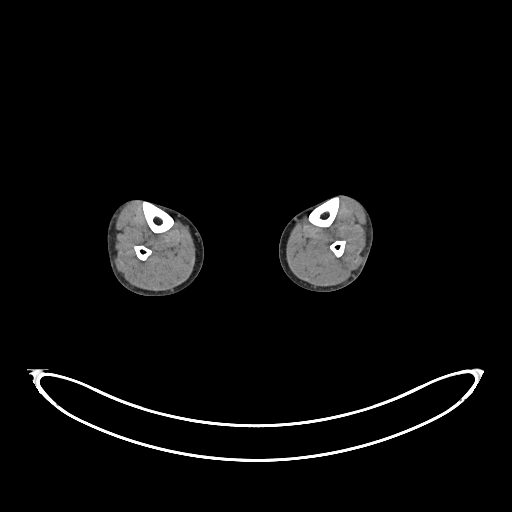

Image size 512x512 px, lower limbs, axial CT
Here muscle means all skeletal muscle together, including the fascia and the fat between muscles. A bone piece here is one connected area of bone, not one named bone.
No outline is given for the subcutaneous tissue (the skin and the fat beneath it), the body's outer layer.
Outlines (x, y in pixels):
muscle 1: (135, 202) (141, 202) (144, 219) (150, 230) (155, 234) (160, 234) (169, 230) (174, 225) (174, 219) (179, 220) (189, 228) (195, 246) (195, 263) (193, 270) (184, 282) (171, 290) (154, 291) (134, 286) (124, 279) (115, 268) (114, 231) (116, 220) (119, 213) (126, 205) with a hole at (135, 245) (143, 245) (144, 246) (145, 246) (147, 248) (148, 248) (149, 249) (150, 249) (151, 250) (151, 253) (146, 258) (146, 259) (145, 260) (141, 260) (136, 255) (136, 253) (135, 252) (135, 250) (134, 249) (134, 246)
muscle 2: (340, 198) (348, 199) (357, 204) (368, 220) (362, 260) (358, 268) (347, 280) (329, 286) (314, 286) (299, 279) (290, 270) (286, 259) (287, 240) (291, 230) (297, 221) (306, 215) (308, 215) (307, 218) (311, 224) (321, 228) (328, 228) (337, 216) (340, 207); inner edge: (336, 240) (345, 240) (345, 246) (344, 247) (344, 250) (343, 251) (343, 253) (339, 257) (337, 257) (335, 255) (335, 254) (333, 252) (333, 251) (330, 248) (330, 245) (332, 243) (333, 243)
bones 1: (144, 200) (148, 200) (152, 202) (158, 207) (161, 208) (163, 210) (167, 212) (173, 218) (173, 225) (166, 231) (164, 231) (160, 233) (155, 233) (153, 232) (149, 227) (145, 219) (145, 217) (143, 213) (143, 209) (142, 208) (142, 202)
bones 2: (332, 196) (338, 196) (339, 197) (339, 207) (338, 208) (336, 216) (332, 223) (328, 227) (321, 227) (320, 226) (317, 226) (311, 223) (309, 221) (309, 219) (308, 218) (308, 216) (310, 212) (316, 206) (317, 206) (319, 204) (320, 204) (322, 202) (323, 202) (325, 200)
bones 3: (336, 240) (345, 240) (345, 246) (344, 247) (344, 250) (343, 251) (343, 253) (339, 257) (337, 257) (335, 255) (335, 254) (333, 252) (333, 251) (330, 248) (330, 245) (332, 243) (333, 243)
bones 4: (135, 245) (143, 245) (144, 246) (145, 246) (147, 248) (148, 248) (149, 249) (150, 249) (151, 250) (151, 253) (146, 258) (146, 259) (145, 260) (141, 260) (136, 255) (136, 253) (135, 252) (135, 250) (134, 249) (134, 246)
right leg: (134, 198) (141, 198) (144, 200) (149, 200) (152, 202) (163, 204) (177, 210) (189, 218) (199, 231) (204, 246) (203, 264) (196, 278) (181, 291) (165, 296) (140, 295) (125, 288) (114, 276) (110, 267) (107, 253) (106, 234) (108, 223) (112, 213) (121, 203) (126, 200)
left leg: (335, 194) (349, 195) (359, 200) (365, 206) (369, 212) (373, 225) (372, 246) (367, 261) (361, 273) (353, 282) (341, 289) (334, 291) (329, 292) (310, 291) (296, 285) (284, 273) (278, 258) (278, 244) (280, 235) (288, 221) (298, 212) (330, 196) (333, 196)